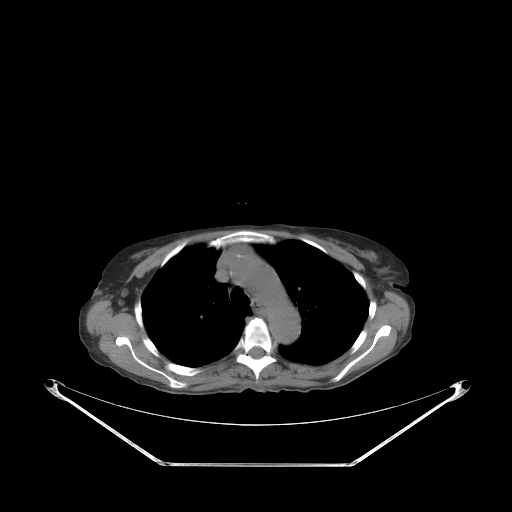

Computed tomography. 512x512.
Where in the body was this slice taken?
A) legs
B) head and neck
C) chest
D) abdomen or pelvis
Answer: C) chest
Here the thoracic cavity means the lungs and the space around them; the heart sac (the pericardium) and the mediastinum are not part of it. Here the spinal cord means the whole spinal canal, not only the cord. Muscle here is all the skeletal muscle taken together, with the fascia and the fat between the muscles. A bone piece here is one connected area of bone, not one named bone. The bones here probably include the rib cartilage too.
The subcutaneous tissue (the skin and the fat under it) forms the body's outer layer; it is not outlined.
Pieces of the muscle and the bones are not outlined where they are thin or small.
{"bones":[{"outer":[[254,317],[259,317],[265,322],[272,340],[277,344],[276,351],[274,353],[274,355],[276,357],[276,361],[265,366],[260,371],[257,380],[255,379],[254,372],[248,366],[235,361],[234,357],[230,355],[230,353],[239,341],[243,333],[243,330],[246,323]],"hole":[[253,347],[259,347],[260,348],[261,348],[264,351],[264,354],[261,357],[260,357],[259,358],[254,358],[253,357],[252,357],[248,353],[249,352],[249,351]]},[[237,230],[253,230],[268,235],[271,235],[277,240],[277,242],[274,244],[252,243],[251,242],[236,242],[235,243],[228,244],[223,247],[222,246],[218,249],[216,249],[214,247],[208,247],[207,246],[207,243],[210,240],[214,239],[217,237],[226,235]],[[118,336],[126,336],[129,339],[134,353],[142,361],[156,369],[163,371],[169,376],[177,380],[186,382],[187,383],[187,386],[183,388],[173,388],[170,387],[167,379],[164,376],[145,367],[135,360],[129,347],[126,344],[117,345],[115,342],[115,340]],[[385,324],[387,324],[391,327],[389,334],[385,336],[380,336],[376,341],[373,348],[366,355],[351,366],[341,379],[335,382],[331,382],[330,381],[330,379],[331,378],[335,376],[349,362],[363,353],[371,345],[377,330],[381,326]],[[167,361],[170,361],[173,363],[175,363],[179,365],[182,365],[183,366],[187,366],[188,367],[201,367],[202,370],[200,372],[194,375],[192,375],[191,376],[187,376],[186,375],[180,375],[179,374],[176,374],[174,372],[172,372],[165,368],[165,363]],[[185,239],[188,239],[189,240],[188,241],[188,243],[175,255],[174,255],[172,257],[171,257],[165,263],[165,264],[163,266],[160,267],[160,264],[161,263],[161,262],[163,260],[164,257],[174,247],[175,247],[178,244],[179,244],[183,240],[184,240]],[[363,328],[365,328],[367,330],[367,334],[366,335],[366,337],[363,341],[363,342],[361,344],[361,345],[353,353],[350,354],[349,353],[349,349],[350,348],[350,347],[353,344],[353,343],[355,341],[355,340],[357,338],[357,337],[359,335],[360,332]],[[137,299],[140,299],[141,300],[141,314],[142,315],[142,320],[143,321],[143,325],[144,326],[144,328],[143,329],[142,329],[139,326],[139,325],[138,324],[138,323],[136,320],[136,318],[135,317],[135,313],[134,312],[134,304],[136,302]],[[144,336],[148,336],[148,337],[152,341],[152,342],[154,344],[154,345],[157,348],[157,349],[159,351],[159,356],[156,356],[155,355],[154,355],[145,346],[145,345],[144,344],[144,343],[143,342],[143,341],[142,340],[142,338]],[[300,235],[301,235],[310,240],[312,240],[316,243],[317,243],[321,246],[322,246],[328,252],[328,254],[325,253],[320,249],[319,249],[318,248],[317,248],[306,242],[304,242],[303,241],[298,239],[298,236],[299,236]],[[353,270],[354,270],[355,271],[356,271],[357,272],[358,272],[363,277],[363,278],[365,281],[365,284],[366,285],[366,288],[365,289],[364,289],[362,287],[362,286],[356,280],[356,279],[354,277],[354,276],[352,273],[352,271]]],"muscle":[[[225,229],[306,232],[352,253],[363,264],[379,299],[385,290],[392,290],[408,303],[409,320],[404,335],[389,353],[344,377],[374,348],[380,337],[390,334],[392,327],[387,323],[381,325],[370,345],[331,377],[330,383],[305,387],[242,385],[184,389],[188,386],[186,381],[138,357],[126,335],[118,335],[115,344],[126,345],[135,361],[164,377],[168,386],[117,366],[100,351],[86,327],[89,307],[105,295],[112,297],[117,312],[128,312],[133,305],[135,320],[147,333],[141,338],[144,346],[156,357],[160,353],[164,355],[169,360],[164,368],[180,376],[194,376],[203,370],[202,366],[231,356],[235,362],[248,367],[257,381],[261,371],[277,361],[276,352],[291,362],[317,366],[348,350],[351,355],[362,345],[368,334],[364,324],[374,317],[377,308],[377,302],[367,297],[364,277],[354,269],[350,271],[322,245],[301,234],[297,239],[278,241],[271,234],[237,229],[206,243],[187,245],[190,240],[185,238],[163,257],[141,299],[137,298],[134,303],[136,285],[124,281],[139,261],[154,249],[182,237]]],"thoracic_cavity":[[[200,243],[206,244],[208,248],[214,248],[219,251],[215,262],[213,278],[218,284],[226,285],[227,296],[234,308],[244,319],[245,324],[238,341],[229,355],[201,366],[188,366],[171,361],[160,352],[149,337],[143,320],[142,296],[160,268],[186,246]],[[288,239],[306,243],[342,264],[351,272],[364,290],[368,300],[367,318],[352,344],[338,357],[322,364],[313,365],[294,362],[284,358],[277,351],[278,344],[289,346],[297,341],[301,335],[302,319],[276,270],[257,251],[255,245],[274,245],[279,241]]],"spinal_cord":[[[253,347],[259,347],[260,348],[261,348],[264,351],[264,354],[261,357],[260,357],[259,358],[254,358],[253,357],[252,357],[248,353],[249,352],[249,351]]],"mediastinum":[[[231,244],[254,245],[256,251],[275,270],[298,310],[301,319],[300,335],[293,343],[285,345],[274,341],[266,322],[259,316],[254,316],[245,322],[245,319],[235,308],[228,296],[227,285],[225,283],[218,283],[214,278],[216,262],[220,253],[218,250]]],"torso":[[[272,222],[357,233],[384,245],[404,262],[409,284],[403,290],[413,298],[415,316],[411,338],[399,353],[353,381],[328,390],[263,393],[246,389],[209,395],[172,394],[140,385],[88,355],[78,335],[79,310],[98,283],[106,263],[120,249],[182,230]]]}